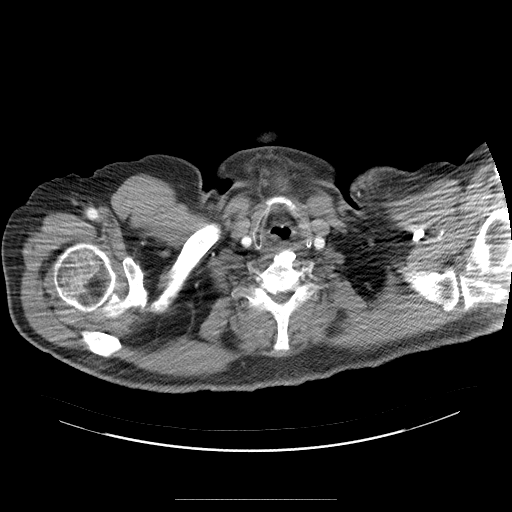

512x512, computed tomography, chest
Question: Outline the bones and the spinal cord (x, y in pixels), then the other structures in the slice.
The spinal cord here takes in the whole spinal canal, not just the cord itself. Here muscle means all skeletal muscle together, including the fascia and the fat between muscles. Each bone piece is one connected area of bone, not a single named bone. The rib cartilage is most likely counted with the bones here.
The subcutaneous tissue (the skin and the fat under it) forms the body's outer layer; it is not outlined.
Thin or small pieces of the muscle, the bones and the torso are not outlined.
Answer: Outlines:
bones 1: 504 207; 507 208; 511 227; 511 282; 508 287; 506 305; 480 303; 477 307; 463 311; 461 297; 453 309; 445 311; 439 304; 419 295; 405 282; 423 272; 442 273; 450 267; 457 275; 463 272; 466 260; 475 245; 479 227; 495 210
bones 2: 80 242; 97 245; 105 252; 119 283; 114 292; 121 299; 129 287; 122 268; 123 259; 130 256; 140 266; 148 293; 143 309; 132 306; 117 318; 106 318; 98 309; 83 312; 66 304; 55 290; 47 291; 54 288; 53 266; 58 256
bones 3: 285 248; 295 253; 295 262; 299 263; 296 269; 312 261; 314 278; 308 279; 323 286; 292 312; 287 326; 289 349; 276 351; 273 345; 277 323; 272 314; 249 306; 246 298; 232 296; 231 292; 235 287; 256 285; 249 268; 262 271, around a hole outlined by 287 291; 291 291; 292 292; 292 293; 290 295; 290 296; 289 297; 289 298; 286 301; 285 301; 284 302; 282 302; 281 303; 279 303; 278 302; 276 302; 274 300; 273 300; 269 295; 269 293; 270 294; 276 294; 278 292; 286 292
bones 4: 212 222; 218 224; 221 229; 220 237; 218 240; 210 247; 191 270; 183 283; 182 288; 178 292; 177 296; 165 311; 159 313; 150 311; 149 306; 165 288; 165 284; 168 280; 167 277; 168 271; 174 263; 186 240; 196 230; 205 224
bones 5: 274 196; 284 196; 296 206; 301 218; 307 223; 306 225; 312 240; 311 247; 306 245; 307 239; 303 229; 282 203; 274 203; 270 207; 261 226; 261 248; 258 249; 256 247; 252 232; 256 226; 257 218; 266 207; 266 201
bones 6: 83 330; 88 330; 89 331; 102 331; 103 332; 108 333; 111 335; 116 336; 119 339; 121 343; 121 348; 108 357; 105 357; 104 356; 99 355; 96 353; 94 353; 90 351; 87 348; 86 344; 82 340; 82 335; 81 334; 81 332
spinal cord: 287 291; 291 291; 292 292; 292 293; 290 295; 290 296; 289 297; 289 298; 286 301; 285 301; 284 302; 282 302; 281 303; 279 303; 278 302; 276 302; 274 300; 273 300; 269 295; 269 293; 270 294; 276 294; 278 292; 286 292
central area in front of the spine: 274 204; 282 204; 286 207; 302 229; 306 239; 305 245; 309 248; 313 246; 313 240; 307 224; 310 221; 325 221; 327 232; 322 250; 275 247; 262 253; 243 247; 239 239; 251 233; 255 247; 258 250; 262 248; 262 226
left arm: 482 142; 484 142; 486 144; 493 162; 500 174; 503 193; 511 227; 511 282; 508 287; 508 291; 502 291; 497 289; 484 287; 471 281; 459 269; 454 261; 448 249; 443 229; 444 202; 449 180; 454 167; 456 164; 460 164; 472 150
torso: 263 128; 331 163; 348 204; 350 181; 371 165; 454 163; 446 246; 471 282; 508 292; 502 327; 374 368; 251 392; 158 393; 64 363; 110 325; 128 278; 113 223; 73 173; 165 153; 195 164; 205 189; 224 192; 232 183; 216 168
right arm: 69 173; 76 175; 86 184; 112 223; 123 250; 127 267; 127 278; 121 301; 109 325; 78 353; 62 362; 29 343; 14 327; 7 306; 0 246; 5 225; 14 208; 25 201; 34 188; 40 183; 50 180; 54 177; 64 176
muscle: 269 149; 313 167; 295 186; 321 188; 378 244; 408 193; 445 176; 461 180; 490 158; 506 206; 478 227; 463 271; 428 270; 404 282; 445 312; 461 298; 463 312; 501 308; 373 350; 316 345; 286 358; 246 356; 205 377; 106 359; 122 343; 102 330; 80 332; 91 353; 57 346; 30 326; 20 298; 23 251; 47 212; 107 204; 140 172; 172 184; 190 207; 227 201; 259 177; 244 162 with holes at 274 196; 289 199; 306 223; 327 224; 321 251; 293 251; 299 263; 294 267; 312 261; 314 278; 308 279; 323 286; 292 312; 289 349; 276 351; 272 314; 231 294; 235 287; 256 285; 249 268; 262 271; 283 248; 262 253; 239 241 and at 80 242; 97 245; 105 252; 119 283; 114 292; 121 299; 129 287; 122 268; 123 259; 130 256; 140 266; 148 293; 143 309; 132 306; 117 318; 106 318; 98 309; 83 312; 66 304; 55 290; 47 291; 54 288; 53 266; 58 256 and at 212 222; 218 224; 221 229; 220 237; 218 240; 210 247; 191 270; 183 283; 182 288; 178 292; 177 296; 165 311; 159 313; 150 311; 149 306; 165 288; 165 284; 168 280; 167 277; 168 271; 174 263; 186 240; 196 230; 205 224